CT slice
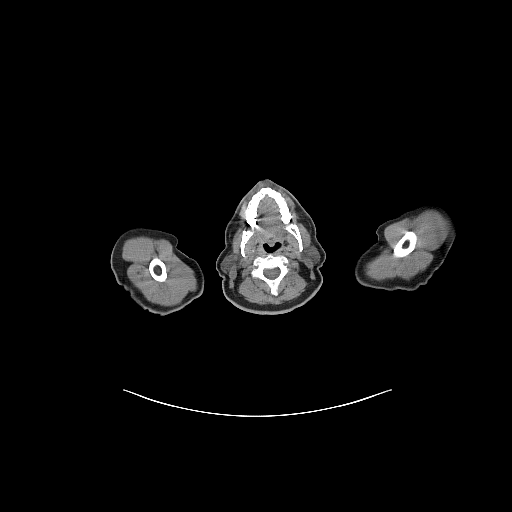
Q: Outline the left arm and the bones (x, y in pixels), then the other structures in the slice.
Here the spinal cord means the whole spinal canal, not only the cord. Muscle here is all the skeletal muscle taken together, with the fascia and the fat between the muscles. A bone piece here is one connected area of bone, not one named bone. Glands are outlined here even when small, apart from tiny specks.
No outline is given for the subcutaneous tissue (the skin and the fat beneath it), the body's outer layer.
A: left arm: 426 203; 437 204; 443 207; 451 214; 458 225; 457 235; 453 245; 443 263; 428 283; 426 285; 420 286; 414 291; 388 291; 382 289; 368 288; 360 285; 354 277; 354 265; 359 255; 376 241; 377 227; 388 219; 396 217; 407 210
bones 1: 262 187; 271 187; 285 199; 293 222; 301 236; 301 251; 299 251; 296 238; 283 228; 285 224; 281 219; 276 202; 266 196; 259 202; 257 208; 258 229; 244 246; 245 256; 241 254; 241 236; 243 230; 247 228; 245 209; 251 197
bones 2: 268 253; 271 253; 274 255; 283 255; 288 259; 288 263; 287 264; 288 271; 279 282; 277 287; 277 292; 278 293; 277 295; 273 295; 271 293; 270 287; 262 279; 257 277; 253 277; 251 275; 254 259; 257 256; 264 257; inner edge: 273 268; 278 268; 279 269; 279 273; 278 274; 278 275; 276 277; 275 277; 274 278; 273 278; 272 279; 271 279; 270 278; 268 278; 264 274; 264 270; 265 269; 272 269
bones 3: 405 231; 413 231; 415 233; 415 234; 417 237; 417 239; 416 240; 416 243; 415 244; 415 247; 407 255; 406 255; 403 257; 394 257; 392 254; 393 253; 393 247; 395 245; 395 244; 402 237; 402 236; 404 234; 404 232
bones 4: 154 257; 157 257; 159 258; 164 263; 165 265; 165 269; 166 270; 166 274; 167 275; 164 281; 162 281; 161 282; 160 281; 158 281; 154 279; 150 273; 150 271; 149 270; 149 264; 151 260
right arm: 134 227; 153 228; 175 235; 178 239; 177 248; 188 256; 195 259; 200 265; 205 279; 203 292; 200 296; 194 299; 183 309; 163 316; 151 313; 142 309; 136 304; 130 298; 128 293; 116 282; 110 267; 111 251; 117 238; 124 231
spinal cord: 273 268; 278 268; 279 269; 279 273; 278 274; 278 275; 276 277; 275 277; 274 278; 273 278; 272 279; 271 279; 270 278; 268 278; 264 274; 264 270; 265 269; 272 269
muscle 1: 262 184; 270 186; 262 186; 257 190; 244 209; 246 228; 240 236; 240 254; 244 258; 246 256; 245 246; 259 229; 258 208; 266 197; 275 202; 284 224; 282 228; 295 238; 298 251; 303 250; 302 236; 286 199; 272 187; 284 192; 292 200; 310 233; 311 242; 302 255; 313 266; 314 278; 298 297; 280 304; 248 302; 229 285; 229 270; 238 261; 238 256; 232 250; 236 219; 244 201; inner edge: 265 244; 271 247; 275 244; 278 244; 277 248; 271 253; 274 255; 283 255; 288 259; 288 271; 279 282; 277 287; 277 295; 273 295; 271 293; 270 287; 262 279; 253 277; 251 275; 254 259; 257 256; 264 257; 268 253; 264 248
muscle 2: 139 235; 145 235; 153 238; 167 239; 172 245; 173 252; 182 261; 193 269; 197 280; 197 288; 195 291; 189 292; 182 301; 178 304; 172 306; 162 306; 154 304; 148 301; 128 279; 126 274; 126 264; 121 256; 122 246; 126 239, around a hole outlined by 154 257; 157 257; 159 258; 164 263; 165 265; 165 269; 166 270; 166 274; 167 275; 164 281; 162 281; 161 282; 160 281; 158 281; 154 279; 150 273; 150 271; 149 270; 149 264; 151 260
muscle 3: 426 210; 435 210; 439 212; 450 225; 450 230; 447 237; 433 252; 434 257; 427 268; 408 280; 399 277; 381 281; 368 278; 364 274; 363 268; 364 265; 377 255; 386 244; 383 234; 384 229; 392 223; 408 217; 410 218; 416 216; inner edge: 405 231; 413 231; 415 233; 415 234; 417 237; 417 239; 416 240; 416 243; 415 244; 415 247; 407 255; 406 255; 403 257; 394 257; 392 254; 393 253; 393 247; 395 245; 395 244; 402 237; 402 236; 404 234; 404 232
head and neck: 263 178; 268 178; 279 184; 295 196; 312 218; 316 228; 316 237; 326 254; 325 260; 320 268; 323 280; 315 295; 305 304; 289 312; 275 315; 250 313; 232 304; 223 293; 221 277; 215 267; 216 259; 225 245; 225 227; 237 204, around a hole outlined by 265 244; 266 244; 268 246; 270 246; 271 247; 272 247; 273 246; 274 246; 275 245; 275 244; 278 244; 278 246; 277 247; 277 248; 276 248; 273 251; 272 251; 271 252; 268 252; 264 248; 264 245
parotid glands 1: 230 251; 233 251; 234 252; 234 253; 237 256; 237 261; 228 270; 228 273; 227 274; 226 274; 224 272; 223 272; 219 268; 219 265; 220 264; 220 262; 229 253; 229 252
parotid glands 2: 311 243; 312 243; 318 249; 318 251; 319 252; 319 253; 320 254; 320 259; 317 262; 317 263; 315 265; 313 265; 303 255; 303 252; 305 250; 305 249; 307 247; 309 247; 310 246; 310 244